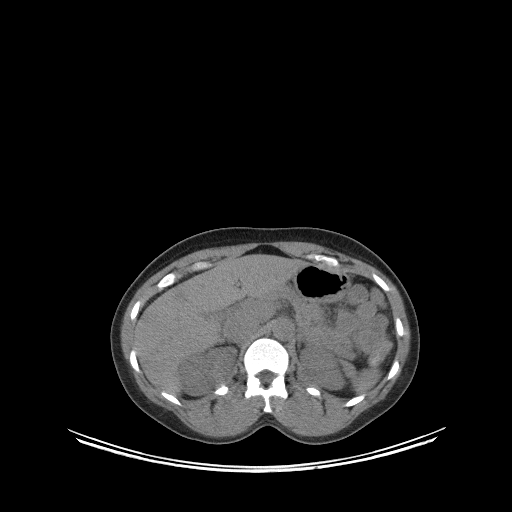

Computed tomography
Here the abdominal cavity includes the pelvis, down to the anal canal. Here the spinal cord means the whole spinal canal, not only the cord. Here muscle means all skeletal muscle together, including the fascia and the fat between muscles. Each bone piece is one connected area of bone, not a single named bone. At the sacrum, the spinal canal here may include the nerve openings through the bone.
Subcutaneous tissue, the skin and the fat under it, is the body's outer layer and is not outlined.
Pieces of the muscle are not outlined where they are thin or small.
{"abdominal_cavity":[[[259,246],[272,246],[291,256],[361,275],[385,292],[393,316],[396,350],[377,385],[348,399],[329,393],[301,371],[293,354],[290,360],[278,340],[267,336],[254,339],[231,375],[201,397],[179,399],[150,383],[139,365],[133,337],[145,303],[182,277]]],"torso":[[[228,226],[309,226],[336,231],[361,242],[393,270],[412,301],[420,335],[414,376],[393,406],[355,433],[330,443],[301,443],[265,426],[236,442],[210,444],[173,432],[130,399],[116,373],[109,339],[112,318],[122,295],[142,269],[168,247],[196,233]]],"muscle":[{"outer":[[261,241],[310,242],[361,260],[383,273],[402,298],[410,330],[410,346],[402,371],[382,400],[337,432],[321,436],[299,435],[269,414],[273,411],[271,397],[284,400],[288,397],[285,376],[292,356],[300,371],[318,388],[346,399],[343,406],[351,407],[361,402],[366,392],[385,377],[388,381],[397,374],[400,368],[395,358],[397,337],[402,337],[405,330],[401,319],[394,318],[386,294],[391,290],[388,284],[374,272],[371,279],[340,267],[341,263],[334,256],[314,252],[296,256],[272,245],[259,245],[213,263],[199,260],[192,263],[191,272],[183,276],[175,271],[163,275],[155,284],[159,291],[141,308],[140,299],[131,307],[129,318],[134,324],[129,364],[136,373],[142,372],[150,384],[159,388],[162,397],[177,406],[182,405],[181,399],[195,400],[211,392],[218,396],[227,394],[229,387],[224,382],[238,368],[242,356],[246,374],[243,395],[246,399],[262,397],[262,410],[266,413],[245,431],[225,437],[194,431],[171,411],[150,401],[129,370],[122,351],[120,328],[129,302],[147,279],[194,251]],"hole":[[309,386],[311,386],[312,387],[314,387],[315,388],[316,388],[317,389],[318,389],[320,391],[320,396],[315,396],[314,395],[312,395],[311,394],[310,394],[309,393],[308,393],[306,391],[306,387],[308,387]]}],"spinal_cord":[[[263,370],[268,370],[269,371],[270,371],[271,372],[272,372],[275,374],[275,376],[272,379],[272,380],[270,382],[270,383],[267,385],[263,385],[261,383],[261,381],[260,380],[260,379],[257,376],[257,374]]],"bones":[{"outer":[[261,337],[272,338],[278,341],[286,349],[289,356],[289,363],[284,376],[287,397],[284,399],[280,396],[271,396],[269,403],[272,411],[270,413],[263,410],[265,402],[262,396],[254,395],[246,398],[244,395],[247,374],[243,357],[248,346],[254,340]],"hole":[[263,370],[268,370],[269,371],[270,371],[271,372],[272,372],[275,374],[275,376],[272,379],[272,380],[270,382],[270,383],[267,385],[263,385],[261,383],[261,381],[260,380],[260,379],[257,376],[257,374]]},[[311,253],[314,253],[315,254],[322,254],[323,255],[334,257],[338,260],[338,261],[340,263],[340,266],[339,267],[334,267],[333,266],[326,265],[321,262],[316,261],[313,259],[309,259],[308,258],[306,258],[304,257],[306,255],[310,254]],[[170,272],[175,272],[176,273],[179,273],[180,274],[181,274],[182,275],[182,276],[171,285],[170,285],[169,286],[167,286],[160,290],[156,286],[156,284],[158,282],[158,281],[163,276],[164,276],[166,274],[167,274]],[[133,348],[134,348],[135,349],[135,352],[136,353],[136,358],[137,359],[137,362],[138,363],[138,365],[141,370],[141,371],[140,372],[136,372],[133,369],[133,368],[131,366],[131,365],[130,364],[130,362],[129,361],[129,356],[130,355],[130,351]],[[395,359],[396,359],[398,361],[398,362],[399,363],[399,368],[398,369],[398,371],[396,373],[396,374],[393,377],[392,377],[390,379],[389,379],[388,380],[387,379],[386,379],[386,376],[387,375],[387,374],[392,365],[392,363],[393,362],[393,361]],[[372,273],[374,273],[378,276],[379,276],[387,284],[387,285],[390,288],[390,290],[389,291],[385,291],[383,289],[382,289],[382,288],[380,287],[380,286],[378,285],[378,284],[376,283],[376,282],[374,281],[374,280],[372,278]],[[199,261],[207,261],[208,262],[209,262],[211,264],[211,265],[210,265],[209,266],[208,266],[205,268],[203,268],[202,269],[199,269],[198,270],[196,270],[195,271],[192,271],[190,269],[190,266],[192,264],[193,264],[196,262],[198,262]],[[138,300],[140,300],[140,301],[141,302],[141,304],[140,305],[140,309],[137,314],[137,316],[136,317],[135,320],[134,321],[132,321],[130,318],[130,312],[131,311],[131,309],[132,308],[132,307],[134,305],[134,304],[136,302],[136,301],[137,301]],[[396,317],[398,317],[400,319],[400,320],[401,321],[401,322],[402,323],[402,325],[403,326],[403,329],[404,330],[404,334],[402,336],[397,336],[397,334],[396,333],[396,329],[395,328],[395,324],[394,323],[394,319]],[[361,394],[365,394],[365,396],[364,397],[364,398],[361,401],[360,401],[359,402],[356,403],[354,405],[352,405],[351,406],[344,406],[344,403],[345,402],[346,402],[349,399],[350,399],[351,398],[352,398],[355,396],[357,396],[358,395],[360,395]],[[161,391],[165,391],[166,392],[167,392],[168,393],[169,393],[170,394],[175,396],[180,401],[180,402],[181,403],[181,405],[177,405],[176,404],[171,402],[169,400],[166,399],[163,396],[162,396],[161,395],[161,394],[160,393],[161,392]],[[222,383],[224,383],[228,387],[228,391],[227,392],[227,393],[226,393],[224,395],[218,395],[217,394],[215,394],[213,392],[214,391],[214,390],[215,389],[216,389]],[[309,386],[311,386],[312,387],[314,387],[315,388],[316,388],[317,389],[318,389],[320,391],[320,396],[315,396],[314,395],[312,395],[311,394],[310,394],[309,393],[308,393],[306,391],[306,387],[308,387]]]}